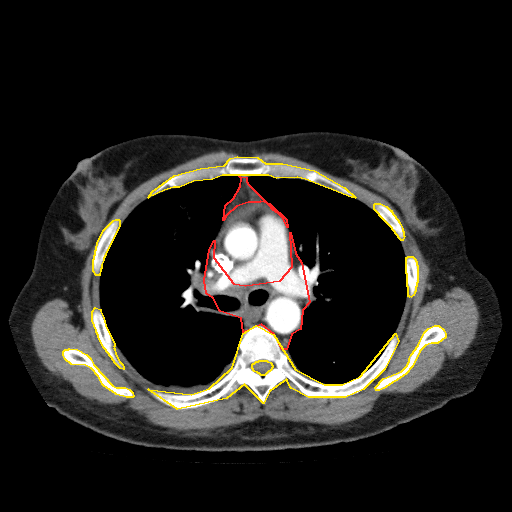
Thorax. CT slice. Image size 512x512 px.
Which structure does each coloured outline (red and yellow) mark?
red: mediastinum; yellow: bones.
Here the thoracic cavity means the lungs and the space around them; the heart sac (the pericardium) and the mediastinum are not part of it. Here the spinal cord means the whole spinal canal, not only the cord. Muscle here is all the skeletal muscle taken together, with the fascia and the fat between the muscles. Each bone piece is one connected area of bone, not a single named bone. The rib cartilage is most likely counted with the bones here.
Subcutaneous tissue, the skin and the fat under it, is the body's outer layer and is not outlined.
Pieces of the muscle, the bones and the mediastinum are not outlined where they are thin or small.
mediastinum 1: [[290,232],[295,253],[301,262],[309,302],[302,310],[300,329],[291,334],[286,349],[282,349],[274,334],[261,324],[243,332],[241,318],[220,311],[213,298],[206,293],[204,280],[209,249],[214,240],[213,257],[233,283],[245,285],[280,280],[292,266]]
mediastinum 2: [[239,176],[246,177],[246,181],[248,184],[265,201],[269,203],[286,219],[287,227],[283,218],[279,214],[273,210],[268,204],[265,202],[260,201],[259,202],[248,202],[236,206],[226,215],[223,220],[225,205],[233,198],[240,186],[241,178]]
bones 1: [[256,325],[273,334],[295,369],[324,384],[342,384],[360,376],[395,333],[398,341],[384,369],[363,389],[345,397],[308,397],[291,388],[286,379],[269,391],[263,403],[244,384],[226,398],[177,409],[148,389],[191,394],[209,388],[232,367],[243,333]] with a hole at [[259,360],[266,360],[267,361],[270,362],[272,365],[272,367],[271,368],[271,369],[269,371],[268,371],[264,375],[261,375],[259,373],[258,373],[257,372],[254,371],[252,368],[252,364],[253,363],[254,363],[256,361],[258,361]]
bones 2: [[237,156],[257,157],[265,163],[282,163],[314,170],[344,187],[355,197],[351,197],[305,179],[297,177],[276,178],[268,175],[222,175],[212,179],[193,181],[179,187],[173,187],[164,190],[148,197],[152,191],[174,175],[200,168],[224,165],[230,158]]
bones 3: [[434,325],[438,325],[443,329],[445,333],[445,337],[437,343],[431,343],[425,345],[419,351],[412,366],[405,374],[383,388],[379,390],[376,390],[375,387],[383,378],[401,371],[406,366],[409,361],[409,358],[411,354],[418,345],[424,332],[428,328]]
bones 4: [[69,348],[77,349],[86,354],[90,358],[93,364],[112,385],[116,387],[125,387],[129,389],[132,392],[133,396],[132,397],[126,397],[116,394],[103,385],[98,376],[91,368],[85,365],[71,364],[65,359],[63,355],[63,351],[65,349],[68,349]]
bones 5: [[115,219],[118,219],[119,220],[119,226],[105,253],[105,255],[103,258],[103,260],[101,264],[101,268],[100,269],[99,275],[96,275],[93,271],[93,259],[94,258],[94,255],[95,254],[95,250],[96,249],[97,242],[104,229],[113,220]]
bones 6: [[95,307],[100,309],[100,311],[103,317],[105,325],[114,344],[114,346],[113,347],[114,348],[115,354],[119,361],[122,364],[123,366],[123,369],[120,368],[114,362],[114,361],[104,348],[98,337],[98,335],[96,332],[96,330],[92,320],[92,311]]
bones 7: [[375,203],[380,203],[386,206],[390,210],[391,210],[391,211],[399,222],[402,228],[402,230],[403,231],[403,235],[404,236],[402,240],[401,240],[398,237],[398,236],[392,229],[392,228],[379,215],[379,214],[374,209],[374,204]]
bones 8: [[408,256],[412,256],[415,259],[415,260],[416,261],[416,264],[417,265],[417,282],[416,283],[416,286],[415,287],[415,291],[414,292],[413,295],[410,297],[409,296],[408,296],[408,287],[407,286],[407,274],[406,273],[406,257],[407,257]]
muscle: [[220,150],[239,155],[230,157],[224,164],[170,176],[120,224],[118,218],[113,219],[96,242],[92,271],[99,276],[100,308],[95,306],[91,311],[95,332],[120,369],[124,366],[115,345],[144,379],[161,389],[147,389],[153,398],[177,410],[193,409],[226,399],[246,385],[263,404],[270,391],[286,380],[291,389],[308,398],[345,398],[367,387],[395,353],[399,341],[395,332],[407,293],[410,298],[416,291],[418,265],[412,255],[405,256],[401,243],[404,231],[392,210],[380,202],[375,202],[373,209],[369,207],[350,190],[314,169],[265,162],[260,157],[250,156],[256,152],[294,157],[384,198],[399,214],[429,266],[423,302],[442,298],[456,286],[473,297],[479,321],[475,337],[465,351],[457,358],[448,359],[431,379],[415,390],[384,394],[361,417],[334,425],[260,416],[213,428],[163,427],[122,404],[88,399],[68,381],[53,374],[42,363],[34,346],[31,323],[35,313],[47,301],[61,298],[73,311],[72,322],[82,326],[81,313],[77,310],[81,302],[81,272],[102,227],[124,198],[154,175]], around holes outlined by [[434,325],[438,325],[443,329],[445,333],[445,337],[437,343],[431,343],[425,345],[419,351],[412,366],[405,374],[383,388],[379,390],[376,390],[375,387],[383,378],[401,371],[406,366],[409,361],[409,358],[411,354],[418,345],[424,332],[428,328]] and by [[69,348],[77,349],[86,354],[90,358],[93,364],[112,385],[116,387],[125,387],[129,389],[132,392],[133,396],[132,397],[126,397],[116,394],[103,385],[98,376],[91,368],[85,365],[71,364],[65,359],[63,355],[63,351],[65,349],[68,349]]
thoracic cavity 1: [[222,176],[238,176],[240,183],[232,198],[224,205],[222,221],[208,249],[203,289],[221,310],[220,312],[238,317],[242,321],[238,352],[227,372],[209,387],[191,393],[162,391],[132,366],[112,339],[100,304],[102,264],[120,225],[141,202],[173,188]]
thoracic cavity 2: [[249,176],[297,178],[355,198],[374,210],[399,239],[405,257],[407,287],[403,309],[383,351],[360,375],[342,383],[324,383],[295,368],[289,361],[289,355],[282,350],[287,349],[292,334],[303,325],[303,310],[310,302],[308,286],[287,219],[249,184]]
torso: [[303,131],[348,133],[396,146],[421,163],[452,199],[463,225],[468,258],[492,284],[502,315],[495,345],[473,390],[370,437],[260,451],[132,444],[84,427],[49,406],[22,360],[8,318],[32,271],[46,211],[77,163],[110,145],[151,134],[245,141]]
pericardium: [[260,202],[268,205],[273,211],[279,215],[282,218],[289,231],[291,237],[292,253],[291,266],[286,274],[278,280],[273,281],[264,280],[252,283],[239,284],[230,280],[225,275],[216,261],[214,257],[215,237],[221,223],[227,215],[236,207],[248,203]]
spinal cord: [[259,360],[266,360],[267,361],[270,362],[272,365],[272,367],[271,368],[271,369],[269,371],[268,371],[264,375],[261,375],[259,373],[258,373],[257,372],[254,371],[252,368],[252,364],[253,363],[254,363],[256,361],[258,361]]